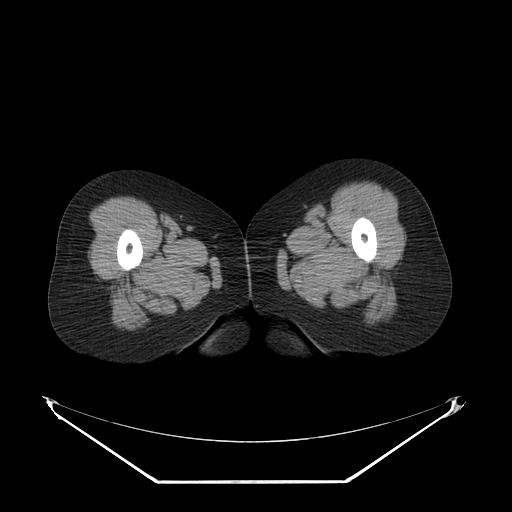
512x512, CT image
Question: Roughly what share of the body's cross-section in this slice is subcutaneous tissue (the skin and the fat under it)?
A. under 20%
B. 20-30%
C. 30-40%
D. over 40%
Answer: D. over 40%
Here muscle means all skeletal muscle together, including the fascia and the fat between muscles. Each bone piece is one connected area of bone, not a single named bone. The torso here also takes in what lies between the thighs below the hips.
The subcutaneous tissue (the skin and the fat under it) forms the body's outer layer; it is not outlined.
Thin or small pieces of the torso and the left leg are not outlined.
Outlines (x, y in pixels):
left leg: (348, 156) (382, 160) (399, 169) (417, 186) (430, 207) (448, 258) (453, 289) (447, 315) (431, 339) (406, 353) (379, 358) (366, 358) (361, 355) (339, 359) (329, 357) (292, 325) (254, 310) (251, 305) (245, 247) (246, 228) (251, 218) (270, 197) (304, 172) (323, 162)
torso 1: (234, 311) (247, 311) (246, 313) (247, 317) (251, 322) (251, 325) (252, 326) (252, 340) (250, 345) (245, 351) (239, 357) (235, 359) (226, 359) (222, 361) (210, 360) (193, 355) (192, 353) (193, 350) (190, 347) (199, 341) (207, 333) (209, 329) (225, 313) (233, 312)
torso 2: (254, 311) (271, 316) (279, 320) (282, 320) (296, 329) (306, 339) (314, 345) (315, 348) (313, 347) (312, 349) (315, 355) (314, 356) (315, 361) (313, 363) (309, 363) (307, 361) (303, 360) (280, 358) (271, 355) (264, 351) (261, 343) (261, 335) (265, 328) (262, 320)
muscle 1: (363, 180) (375, 181) (394, 193) (398, 199) (398, 219) (407, 235) (403, 258) (400, 261) (394, 285) (398, 303) (397, 311) (388, 323) (369, 328) (361, 319) (353, 315) (324, 313) (287, 295) (278, 285) (276, 277) (278, 250) (286, 236) (304, 216) (306, 211) (345, 183) with a hole at (362, 216) (368, 218) (372, 222) (374, 225) (375, 231) (376, 232) (376, 239) (377, 240) (377, 248) (376, 249) (376, 254) (374, 258) (370, 262) (367, 262) (363, 259) (360, 258) (355, 253) (351, 244) (351, 235) (350, 234) (350, 232) (351, 231) (352, 226) (356, 219)
muscle 2: (119, 195) (131, 195) (147, 200) (170, 215) (186, 233) (202, 241) (217, 257) (223, 279) (219, 290) (203, 300) (197, 307) (146, 331) (120, 331) (110, 323) (111, 314) (108, 311) (105, 292) (95, 279) (87, 258) (86, 251) (94, 236) (89, 222) (89, 212) (105, 199); inner edge: (126, 228) (131, 228) (137, 233) (141, 241) (142, 247) (143, 248) (143, 255) (140, 263) (137, 266) (129, 270) (124, 270) (120, 266) (118, 263) (118, 261) (117, 260) (117, 255) (116, 254) (116, 248) (117, 247) (117, 241) (118, 240) (118, 237) (121, 232)
right leg: (122, 168) (149, 170) (169, 177) (223, 209) (237, 222) (244, 234) (247, 261) (250, 295) (247, 310) (225, 312) (188, 348) (176, 355) (167, 355) (142, 364) (101, 361) (70, 349) (55, 333) (47, 309) (47, 289) (54, 261) (56, 236) (68, 202) (90, 179) (104, 172)
bones 1: (362, 216) (368, 218) (372, 222) (374, 225) (375, 231) (376, 232) (376, 239) (377, 240) (377, 248) (376, 249) (376, 254) (374, 258) (370, 262) (367, 262) (363, 259) (360, 258) (355, 253) (351, 244) (351, 235) (350, 234) (350, 232) (351, 231) (352, 226) (356, 219)
bones 2: (126, 228) (131, 228) (137, 233) (141, 241) (142, 247) (143, 248) (143, 255) (140, 263) (137, 266) (129, 270) (124, 270) (120, 266) (118, 263) (118, 261) (117, 260) (117, 255) (116, 254) (116, 248) (117, 247) (117, 241) (118, 240) (118, 237) (121, 232)